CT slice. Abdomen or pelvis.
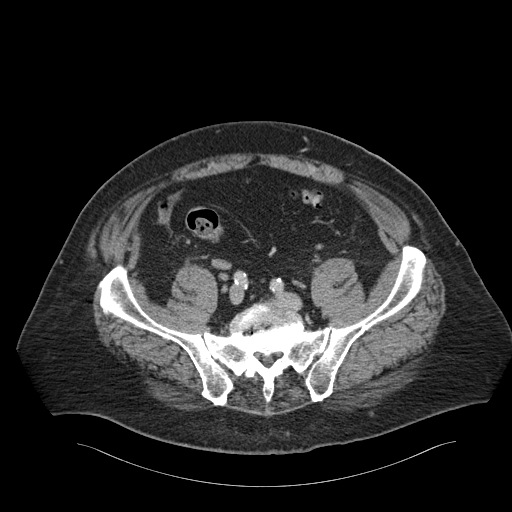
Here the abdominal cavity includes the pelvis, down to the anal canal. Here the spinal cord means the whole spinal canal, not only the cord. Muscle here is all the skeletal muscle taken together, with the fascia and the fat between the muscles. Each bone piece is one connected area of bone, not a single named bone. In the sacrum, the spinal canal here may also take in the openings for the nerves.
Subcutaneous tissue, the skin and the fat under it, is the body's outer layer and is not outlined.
Outlines:
torso: 237 120; 286 121; 331 132; 379 155; 424 190; 466 249; 511 328; 511 357; 486 402; 450 410; 368 439; 326 445; 303 453; 268 455; 193 449; 152 439; 93 415; 52 414; 32 381; 16 344; 81 209; 110 176; 159 142; 196 127
bones: 406 244; 426 256; 422 288; 352 343; 317 402; 308 370; 288 367; 268 403; 260 375; 228 369; 234 388; 214 405; 179 345; 99 304; 99 281; 122 263; 141 308; 168 328; 225 336; 258 302; 296 310; 306 329; 343 327; 385 300, around a hole outlined by 276 352; 280 352; 281 353; 281 355; 279 357; 278 357; 276 359; 275 359; 274 360; 274 361; 269 366; 266 366; 257 357; 256 357; 254 355; 254 354; 255 353; 258 353; 259 354; 262 354; 264 356; 269 356; 272 354; 274 354
muscle 1: 248 152; 287 153; 342 168; 383 187; 422 222; 445 287; 445 309; 435 346; 415 377; 379 403; 348 412; 325 409; 320 402; 333 393; 353 343; 421 291; 428 279; 427 256; 404 244; 384 300; 351 324; 333 325; 312 302; 314 269; 330 258; 351 260; 367 298; 393 256; 353 191; 266 164; 173 181; 158 189; 139 215; 140 249; 133 271; 152 302; 167 304; 186 263; 213 275; 217 306; 202 332; 168 327; 151 317; 122 262; 96 285; 104 315; 175 343; 187 354; 201 381; 200 395; 213 406; 190 411; 167 406; 148 393; 128 359; 111 353; 99 339; 92 306; 96 276; 86 270; 85 256; 98 220; 153 176; 204 158
muscle 2: 288 368; 300 375; 307 370; 303 381; 310 401; 313 403; 271 416; 250 414; 225 407; 229 394; 235 388; 228 370; 236 377; 244 376; 248 379; 253 378; 255 374; 260 376; 262 379; 261 393; 265 403; 268 404; 275 391; 275 378
spinal cord: 276 352; 280 352; 281 353; 281 355; 279 357; 278 357; 276 359; 275 359; 274 360; 274 361; 269 366; 266 366; 257 357; 256 357; 254 355; 254 354; 255 353; 258 353; 259 354; 262 354; 264 356; 269 356; 272 354; 274 354
abdominal cavity: 256 165; 353 192; 392 256; 367 297; 351 259; 330 257; 313 269; 309 296; 328 320; 323 327; 306 328; 296 309; 258 301; 217 334; 207 327; 218 306; 207 268; 182 265; 165 305; 148 297; 134 271; 139 218; 158 190